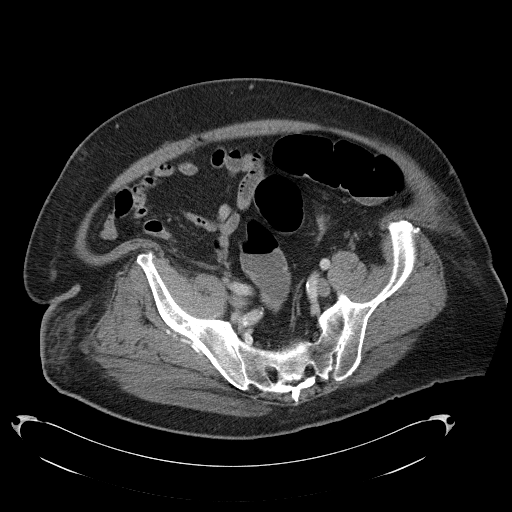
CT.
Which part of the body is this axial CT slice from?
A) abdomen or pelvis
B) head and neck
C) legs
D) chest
A) abdomen or pelvis
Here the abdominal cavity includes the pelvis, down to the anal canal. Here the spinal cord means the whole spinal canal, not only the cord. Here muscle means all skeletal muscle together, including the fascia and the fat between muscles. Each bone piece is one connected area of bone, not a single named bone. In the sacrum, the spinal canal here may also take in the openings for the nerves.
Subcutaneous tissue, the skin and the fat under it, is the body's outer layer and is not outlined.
{"muscle":[{"outer":[[265,118],[286,118],[302,120],[355,132],[400,151],[425,171],[443,194],[454,221],[453,230],[450,234],[436,233],[430,230],[426,231],[427,236],[440,256],[444,267],[444,278],[447,289],[446,304],[443,309],[426,325],[412,347],[394,365],[378,374],[373,379],[362,384],[353,387],[338,389],[326,395],[317,397],[298,405],[274,405],[271,411],[265,415],[240,417],[209,411],[198,411],[144,402],[131,396],[112,382],[87,359],[78,348],[78,343],[80,339],[104,313],[110,296],[115,274],[127,261],[127,259],[123,258],[99,267],[92,267],[85,264],[79,259],[74,251],[73,243],[75,231],[80,220],[92,203],[116,176],[139,158],[160,147],[192,134],[236,122]],"hole":[[316,130],[394,160],[412,192],[380,218],[383,263],[331,256],[335,292],[366,302],[387,283],[390,221],[414,226],[416,259],[356,369],[296,403],[235,387],[162,319],[138,254],[198,318],[226,319],[216,275],[149,238],[103,254],[86,239],[163,162]]}],"bones":[{"outer":[[400,219],[414,226],[410,274],[369,316],[351,375],[317,377],[296,403],[290,392],[241,390],[225,379],[162,319],[136,262],[152,251],[183,310],[228,321],[254,347],[279,349],[315,341],[318,318],[339,293],[366,302],[382,289],[393,266],[387,225]],"holes":[[[269,366],[272,366],[273,367],[273,368],[276,371],[276,372],[277,373],[277,377],[276,378],[276,379],[275,379],[274,380],[273,380],[272,379],[271,379],[271,378],[270,377],[270,374],[267,371],[267,368]],[[300,380],[301,380],[298,383],[297,383],[295,385],[291,385],[290,384],[286,384],[285,383],[285,382],[290,382],[291,381],[299,381]]]}],"spinal_cord":[[[269,366],[272,366],[273,367],[273,368],[276,371],[276,372],[277,373],[277,377],[276,378],[276,379],[275,379],[274,380],[273,380],[272,379],[271,379],[271,378],[270,377],[270,374],[267,371],[267,368]],[[300,380],[301,380],[298,383],[297,383],[295,385],[291,385],[290,384],[286,384],[285,383],[285,382],[290,382],[291,381],[299,381]],[[308,365],[309,365],[310,365],[311,365],[312,366],[312,367],[312,368],[312,369],[311,370],[310,371],[309,371],[308,371],[307,371],[306,370],[306,369],[306,368],[306,367],[307,366]]],"abdominal_cavity":[[[316,130],[397,162],[412,199],[380,218],[383,263],[349,250],[331,256],[328,280],[337,296],[318,316],[315,340],[271,349],[245,341],[226,320],[228,292],[220,279],[177,270],[149,238],[103,254],[89,249],[88,229],[101,204],[161,163],[217,141]]],"torso":[[[232,77],[282,79],[359,98],[401,115],[437,143],[462,183],[507,295],[483,375],[436,382],[339,421],[243,440],[191,436],[123,420],[58,392],[45,379],[39,332],[47,306],[27,295],[23,263],[37,216],[66,161],[92,130],[119,111],[183,85]]]}